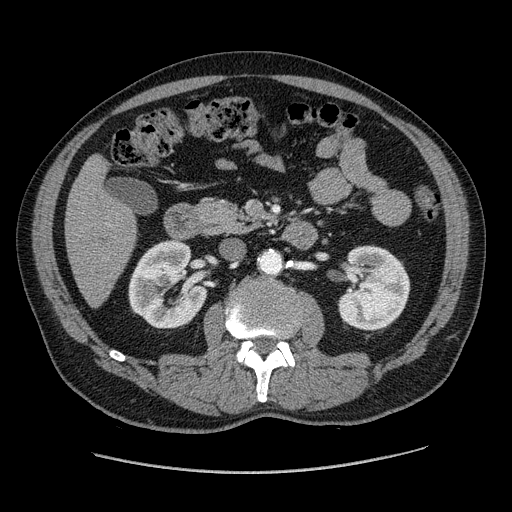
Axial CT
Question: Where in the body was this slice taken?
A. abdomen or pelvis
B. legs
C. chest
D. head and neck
Answer: A. abdomen or pelvis
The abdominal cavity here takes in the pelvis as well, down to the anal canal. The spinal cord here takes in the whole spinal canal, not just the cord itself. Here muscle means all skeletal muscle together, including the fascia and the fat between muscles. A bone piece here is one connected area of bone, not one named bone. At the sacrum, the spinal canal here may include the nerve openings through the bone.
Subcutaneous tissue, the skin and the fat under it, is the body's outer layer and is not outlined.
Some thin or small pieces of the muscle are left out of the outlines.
{"spinal_cord":[[[260,336],[268,336],[269,337],[271,337],[272,338],[273,338],[275,340],[274,349],[273,350],[270,351],[264,356],[261,355],[253,348],[253,347],[254,347],[255,346],[255,343],[252,340],[252,339],[254,339],[255,338],[256,338],[257,337],[259,337]]],"muscle":[[[241,73],[319,78],[366,96],[440,148],[466,198],[467,266],[451,317],[421,356],[388,371],[358,397],[327,409],[290,410],[265,403],[272,371],[296,365],[288,340],[303,321],[297,290],[311,295],[320,308],[324,332],[316,346],[322,352],[358,351],[379,358],[420,327],[444,267],[446,213],[439,186],[410,138],[373,109],[272,78],[232,77],[112,115],[81,144],[66,170],[53,219],[57,263],[72,301],[108,346],[109,357],[156,361],[169,353],[203,354],[208,348],[204,316],[225,298],[224,327],[239,341],[235,360],[256,377],[260,403],[248,411],[228,417],[199,414],[102,369],[66,332],[38,277],[31,236],[34,206],[46,172],[66,144],[147,89],[184,78]]],"bones":[{"outer":[[254,280],[275,280],[293,288],[299,296],[302,312],[302,321],[297,332],[287,340],[294,355],[295,365],[293,367],[279,366],[271,371],[265,402],[257,400],[257,377],[254,370],[236,360],[235,354],[240,347],[240,341],[225,327],[226,298],[231,292]],"hole":[[260,336],[268,336],[269,337],[271,337],[272,338],[273,338],[275,340],[274,349],[273,350],[270,351],[264,356],[261,355],[253,348],[253,347],[254,347],[255,346],[255,343],[252,340],[252,339],[254,339],[255,338],[256,338],[257,337],[259,337]]},[[110,348],[113,348],[114,349],[116,349],[117,350],[122,352],[124,354],[125,354],[126,355],[127,358],[124,361],[119,361],[118,360],[116,360],[115,359],[110,357],[110,356],[108,353],[108,352],[109,351],[109,349]]],"torso":[[[231,50],[306,56],[377,87],[426,121],[458,155],[474,182],[486,231],[478,311],[445,381],[404,409],[358,425],[260,417],[216,432],[170,433],[128,424],[95,408],[62,380],[52,364],[16,256],[17,215],[31,176],[64,133],[110,95],[174,62]]],"abdominal_cavity":[[[245,77],[373,110],[409,138],[432,173],[445,213],[441,278],[419,327],[389,353],[322,351],[317,345],[325,324],[317,301],[275,279],[251,280],[206,310],[203,353],[169,352],[156,360],[109,347],[73,301],[58,263],[54,219],[78,149],[116,114]]]}